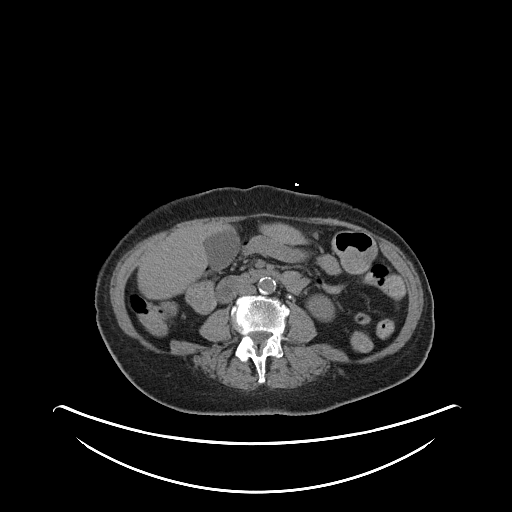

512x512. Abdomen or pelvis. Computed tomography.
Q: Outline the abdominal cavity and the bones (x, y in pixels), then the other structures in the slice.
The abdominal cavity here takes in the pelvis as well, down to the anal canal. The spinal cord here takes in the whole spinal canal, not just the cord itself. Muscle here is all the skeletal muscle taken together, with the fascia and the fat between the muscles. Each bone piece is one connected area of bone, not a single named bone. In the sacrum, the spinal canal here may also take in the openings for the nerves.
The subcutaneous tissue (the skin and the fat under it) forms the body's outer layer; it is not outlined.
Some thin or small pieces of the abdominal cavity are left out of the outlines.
A: {"abdominal_cavity":[[[258,217],[341,226],[373,237],[407,287],[407,311],[395,338],[369,355],[351,358],[329,343],[309,343],[316,326],[296,303],[244,294],[201,324],[198,332],[207,344],[171,339],[164,349],[147,340],[134,326],[125,301],[128,279],[144,254],[185,226]]],"bones":[{"outer":[[244,295],[261,295],[277,298],[289,308],[283,332],[285,339],[281,341],[283,354],[280,357],[270,355],[266,357],[265,381],[263,383],[258,382],[259,377],[253,361],[250,358],[242,361],[235,355],[235,350],[241,335],[236,329],[230,311],[236,300]],"hole":[[251,332],[267,332],[268,333],[270,333],[270,335],[265,340],[265,343],[263,345],[257,345],[254,342],[254,341],[250,337],[250,336],[249,335],[249,334]]}],"spinal_cord":[[[251,332],[267,332],[268,333],[270,333],[270,335],[265,340],[265,343],[263,345],[257,345],[254,342],[254,341],[250,337],[250,336],[249,335],[249,334]]],"muscle":[{"outer":[[260,212],[267,212],[268,213],[274,213],[275,214],[280,214],[281,215],[289,215],[290,216],[298,216],[299,217],[330,217],[331,218],[335,218],[339,220],[346,221],[361,226],[390,241],[397,246],[412,263],[419,277],[421,283],[421,287],[423,291],[423,307],[422,308],[421,315],[412,335],[406,343],[398,351],[371,363],[362,364],[361,365],[347,365],[346,364],[341,364],[340,365],[339,364],[336,364],[323,376],[322,375],[316,380],[309,382],[303,387],[300,388],[296,388],[290,390],[284,390],[283,391],[274,391],[273,390],[269,390],[265,386],[260,386],[252,391],[246,392],[242,390],[231,389],[213,383],[197,373],[188,364],[186,360],[182,357],[180,356],[174,356],[173,355],[159,355],[153,353],[151,351],[145,349],[136,340],[125,334],[117,323],[110,302],[109,287],[110,286],[111,276],[117,264],[117,262],[127,251],[136,243],[148,237],[150,235],[168,229],[175,224],[182,221],[190,220],[195,218],[202,218],[203,217],[229,216],[230,215],[246,215],[247,214],[259,213]],"hole":[[258,217],[373,237],[407,287],[395,338],[351,358],[329,343],[309,343],[316,326],[291,302],[283,354],[266,357],[263,383],[253,361],[235,355],[241,335],[229,307],[199,327],[207,344],[171,339],[164,349],[147,340],[125,301],[144,254],[185,226]]}],"torso":[[[258,184],[320,194],[348,202],[387,223],[409,244],[426,273],[433,295],[435,322],[427,358],[412,377],[381,392],[315,414],[200,415],[178,411],[151,399],[119,369],[99,333],[93,301],[95,278],[109,252],[140,218],[166,202],[218,187],[246,188]]]}